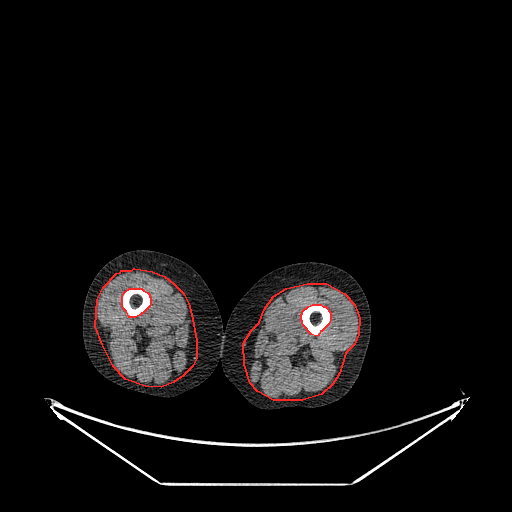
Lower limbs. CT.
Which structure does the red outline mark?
red: muscle.
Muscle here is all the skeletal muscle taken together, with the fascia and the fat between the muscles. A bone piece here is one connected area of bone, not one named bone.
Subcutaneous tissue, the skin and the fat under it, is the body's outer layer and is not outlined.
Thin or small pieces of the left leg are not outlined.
{"muscle":[{"outer":[[307,283],[326,283],[344,293],[354,304],[357,312],[359,318],[358,334],[354,344],[345,353],[339,373],[336,378],[332,384],[321,394],[302,400],[273,400],[257,391],[250,383],[244,364],[243,343],[251,330],[259,322],[264,309],[273,296],[286,288]],"hole":[[312,304],[320,304],[323,306],[325,306],[330,312],[330,320],[328,324],[321,331],[320,331],[318,335],[316,336],[311,334],[307,330],[307,329],[303,325],[302,323],[302,321],[301,320],[301,314],[302,313],[302,311],[305,308],[306,308],[308,306]]},{"outer":[[134,268],[152,271],[164,276],[173,283],[183,293],[188,303],[191,314],[196,340],[196,358],[192,366],[183,375],[173,382],[161,387],[145,386],[125,379],[113,366],[102,344],[95,326],[97,299],[103,287],[116,273],[120,272],[121,270],[131,270]],"hole":[[129,288],[141,288],[143,290],[147,292],[149,294],[149,296],[150,297],[150,304],[149,306],[142,313],[141,313],[139,315],[135,317],[129,317],[126,311],[123,308],[122,306],[122,296],[124,292]]}],"right_leg":[[[137,249],[162,252],[174,256],[190,265],[202,277],[210,289],[218,306],[222,324],[224,326],[218,362],[213,372],[197,386],[172,397],[161,397],[141,393],[110,381],[93,366],[83,343],[82,310],[87,290],[94,276],[104,264],[114,257],[124,252]]],"bones":[[[312,304],[320,304],[323,306],[325,306],[330,312],[330,320],[328,324],[321,331],[320,331],[318,335],[316,336],[311,334],[307,330],[307,329],[303,325],[302,323],[302,321],[301,320],[301,314],[302,313],[302,311],[305,308],[306,308],[308,306]],[[129,288],[141,288],[143,290],[147,292],[149,294],[149,296],[150,297],[150,304],[149,306],[142,313],[141,313],[139,315],[135,317],[129,317],[126,311],[123,308],[122,306],[122,296],[124,292]]],"left_leg":[[[297,262],[322,262],[330,264],[343,269],[357,281],[367,298],[370,308],[371,332],[368,348],[355,383],[349,391],[338,400],[318,407],[292,406],[279,409],[260,409],[252,405],[225,376],[221,362],[219,361],[224,327],[234,306],[254,283],[274,269]]]}